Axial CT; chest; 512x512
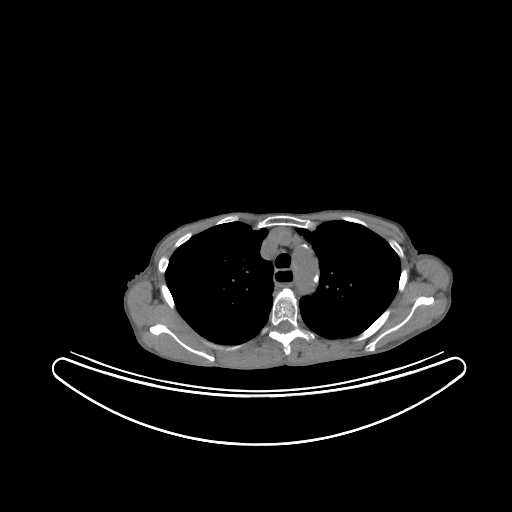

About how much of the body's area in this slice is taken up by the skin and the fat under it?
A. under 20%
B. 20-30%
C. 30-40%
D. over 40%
Answer: A. under 20%
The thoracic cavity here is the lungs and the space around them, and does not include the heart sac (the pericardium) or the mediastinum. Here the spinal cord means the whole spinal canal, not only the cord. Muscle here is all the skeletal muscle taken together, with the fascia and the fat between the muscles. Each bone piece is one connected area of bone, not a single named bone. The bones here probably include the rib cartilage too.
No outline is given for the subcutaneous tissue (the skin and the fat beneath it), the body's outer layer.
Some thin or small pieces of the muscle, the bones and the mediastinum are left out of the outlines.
bones 1: (284, 288) (289, 288) (293, 292) (298, 302) (299, 313) (302, 321) (307, 328) (317, 335) (311, 341) (307, 341) (302, 337) (294, 338) (289, 344) (290, 352) (288, 355) (285, 354) (283, 345) (279, 341) (270, 337) (266, 333) (260, 333) (268, 322) (274, 297) (279, 291) with a hole at (282, 321) (287, 321) (288, 322) (289, 322) (291, 324) (291, 325) (292, 326) (292, 328) (289, 331) (288, 331) (287, 332) (281, 332) (280, 331) (278, 331) (276, 329) (276, 327) (277, 326) (277, 325) (279, 323) (280, 323)
bones 2: (277, 214) (292, 215) (302, 219) (309, 219) (314, 222) (316, 222) (317, 225) (315, 228) (312, 229) (301, 228) (295, 226) (288, 226) (287, 225) (274, 225) (273, 226) (268, 226) (267, 227) (263, 227) (262, 228) (256, 229) (255, 226) (259, 221) (270, 215) (276, 215)
bones 3: (419, 296) (432, 296) (434, 299) (433, 302) (429, 305) (425, 304) (418, 305) (415, 308) (410, 318) (403, 325) (386, 334) (376, 343) (374, 351) (370, 352) (366, 351) (364, 348) (368, 343) (373, 341) (380, 334) (386, 330) (401, 322) (407, 316) (411, 310) (415, 300)
bones 4: (157, 323) (160, 323) (166, 326) (181, 341) (188, 346) (196, 350) (203, 351) (207, 354) (213, 356) (214, 357) (214, 360) (213, 361) (210, 361) (207, 358) (201, 355) (189, 351) (178, 343) (169, 334) (165, 332) (162, 332) (157, 335) (153, 334) (149, 330) (149, 328)
bones 5: (387, 308) (390, 308) (390, 313) (389, 314) (387, 319) (384, 322) (384, 323) (374, 333) (373, 333) (370, 336) (369, 336) (362, 340) (359, 340) (358, 341) (354, 341) (352, 339) (354, 336) (356, 336) (357, 335) (358, 335) (361, 332) (362, 332) (365, 329) (366, 329)
bones 6: (202, 339) (206, 339) (213, 343) (215, 343) (216, 344) (220, 344) (221, 345) (236, 345) (237, 344) (241, 344) (242, 343) (247, 342) (242, 347) (238, 349) (236, 349) (235, 350) (221, 350) (220, 349) (215, 349) (214, 348) (212, 348) (206, 345) (204, 343)
bones 7: (163, 283) (165, 283) (166, 284) (166, 285) (167, 286) (167, 287) (173, 298) (173, 300) (174, 301) (174, 303) (175, 304) (175, 307) (174, 308) (171, 308) (170, 307) (170, 306) (165, 300) (165, 299) (160, 290) (160, 286) (161, 285) (161, 284) (162, 284)
bones 8: (404, 268) (405, 268) (407, 270) (407, 280) (406, 281) (406, 283) (405, 284) (405, 285) (404, 286) (404, 287) (403, 288) (403, 290) (402, 291) (398, 291) (398, 284) (399, 283) (399, 278) (400, 277) (400, 274) (401, 273) (401, 270) (402, 269) (403, 269)
bones 9: (234, 213) (236, 213) (239, 217) (239, 219) (237, 221) (231, 221) (230, 222) (226, 222) (225, 223) (221, 223) (220, 224) (217, 224) (216, 225) (214, 225) (217, 221) (218, 221) (220, 219) (223, 218) (226, 215) (228, 215) (229, 214) (233, 214)
bones 10: (388, 239) (393, 239) (394, 240) (395, 240) (400, 245) (400, 246) (402, 249) (402, 251) (403, 252) (403, 254) (404, 255) (404, 256) (402, 258) (400, 258) (398, 256) (398, 255) (396, 253) (396, 252) (391, 247) (391, 246) (389, 244) (389, 243) (387, 241) (388, 240)
bones 11: (162, 256) (166, 256) (167, 257) (168, 257) (168, 258) (169, 259) (168, 260) (168, 264) (167, 265) (167, 267) (166, 268) (166, 270) (165, 271) (165, 272) (164, 273) (161, 273) (159, 271) (159, 270) (158, 269) (158, 262) (159, 261) (159, 260) (160, 259) (160, 258)
bones 12: (343, 215) (345, 215) (346, 216) (350, 216) (351, 217) (354, 217) (355, 218) (360, 219) (364, 221) (367, 224) (368, 227) (366, 226) (364, 226) (359, 223) (356, 223) (355, 222) (351, 222) (350, 221) (347, 221) (346, 220) (343, 220) (342, 219) (340, 219) (340, 217)
bones 13: (188, 232) (191, 232) (192, 233) (192, 235) (185, 242) (184, 242) (182, 244) (181, 244) (178, 247) (177, 247) (176, 248) (174, 248) (174, 245) (175, 244) (175, 243) (176, 242) (176, 241) (181, 236) (182, 236) (184, 234) (185, 234) (186, 233) (187, 233)
torso: (330, 208) (352, 208) (395, 220) (405, 228) (419, 252) (437, 254) (451, 266) (451, 307) (435, 326) (378, 354) (309, 366) (268, 369) (188, 365) (161, 358) (138, 344) (123, 309) (123, 294) (126, 282) (148, 264) (154, 246) (165, 234) (186, 222) (232, 210) (309, 212)
spinal cord: (282, 321) (287, 321) (288, 322) (289, 322) (291, 324) (291, 325) (292, 326) (292, 328) (289, 331) (288, 331) (287, 332) (281, 332) (280, 331) (278, 331) (276, 329) (276, 327) (277, 326) (277, 325) (279, 323) (280, 323)
muscle 1: (321, 212) (360, 213) (389, 222) (404, 235) (405, 253) (410, 260) (421, 257) (438, 260) (449, 274) (445, 291) (447, 303) (438, 318) (376, 349) (377, 343) (403, 326) (418, 306) (429, 306) (434, 302) (432, 295) (419, 295) (401, 321) (364, 346) (367, 352) (304, 363) (289, 362) (285, 356) (278, 363) (253, 367) (174, 359) (158, 353) (142, 341) (128, 309) (129, 289) (137, 280) (153, 271) (157, 249) (167, 237) (188, 225) (220, 216) (224, 216) (210, 227) (193, 235) (191, 231) (181, 235) (175, 241) (175, 249) (169, 258) (162, 255) (157, 262) (158, 271) (165, 277) (165, 282) (159, 286) (164, 300) (171, 309) (176, 308) (204, 338) (201, 339) (206, 346) (215, 350) (235, 351) (259, 333) (279, 342) (288, 356) (291, 352) (290, 344) (296, 338) (311, 342) (318, 335) (329, 339) (352, 337) (354, 342) (358, 342) (370, 337) (388, 319) (391, 313) (389, 305) (397, 291) (402, 292) (407, 283) (408, 270) (405, 267) (401, 269) (400, 263) (400, 259) (405, 256) (403, 249) (395, 239) (386, 240) (370, 229) (364, 220) (354, 216) (343, 214) (339, 219) (319, 223) (296, 216); inner edge: (157, 323) (160, 323) (166, 326) (181, 341) (188, 346) (196, 350) (203, 351) (207, 354) (213, 356) (214, 357) (214, 360) (213, 361) (210, 361) (207, 358) (201, 355) (189, 351) (178, 343) (169, 334) (165, 332) (162, 332) (157, 335) (153, 334) (149, 330) (149, 328)
muscle 2: (237, 213) (242, 213) (243, 214) (250, 214) (251, 215) (255, 215) (256, 216) (267, 216) (266, 216) (264, 218) (259, 220) (255, 224) (255, 225) (254, 226) (253, 226) (246, 222) (244, 222) (243, 221) (240, 221) (239, 220) (240, 219) (240, 217) (239, 216) (239, 215)
thoracic cavity 1: (238, 221) (252, 226) (255, 230) (265, 228) (267, 231) (260, 244) (259, 255) (264, 260) (270, 262) (272, 267) (273, 287) (271, 294) (273, 298) (267, 322) (256, 335) (241, 343) (221, 344) (202, 336) (181, 315) (166, 283) (165, 273) (174, 251) (192, 236) (213, 226)
thoracic cavity 2: (333, 220) (342, 220) (359, 224) (383, 238) (399, 258) (400, 273) (397, 290) (392, 300) (366, 328) (353, 336) (329, 338) (319, 335) (307, 327) (300, 313) (299, 300) (304, 296) (312, 295) (318, 287) (320, 263) (312, 245) (298, 232) (298, 228) (313, 231) (318, 224)
mediastinum: (274, 226) (287, 226) (297, 228) (297, 232) (309, 242) (318, 259) (319, 278) (317, 287) (312, 294) (304, 295) (298, 301) (294, 292) (289, 287) (282, 288) (273, 297) (272, 294) (274, 287) (273, 267) (270, 261) (264, 259) (260, 255) (260, 247) (268, 233) (266, 228)